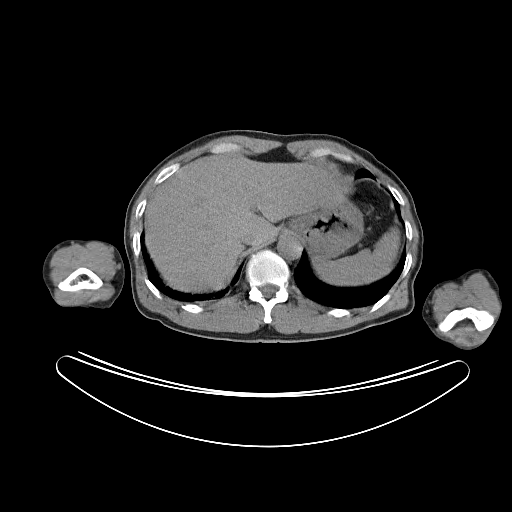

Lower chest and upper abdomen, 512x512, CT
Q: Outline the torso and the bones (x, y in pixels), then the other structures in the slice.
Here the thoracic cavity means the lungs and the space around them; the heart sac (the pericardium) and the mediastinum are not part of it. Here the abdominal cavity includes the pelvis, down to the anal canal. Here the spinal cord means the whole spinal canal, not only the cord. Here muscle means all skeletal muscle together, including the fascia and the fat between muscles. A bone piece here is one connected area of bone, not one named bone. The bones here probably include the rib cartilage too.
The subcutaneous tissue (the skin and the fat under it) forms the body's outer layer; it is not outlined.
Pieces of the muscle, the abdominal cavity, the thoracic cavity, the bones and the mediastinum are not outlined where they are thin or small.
A: The torso is outlined by 227,129 338,135 369,150 394,171 413,197 423,230 423,258 414,281 413,310 405,316 349,335 302,343 240,343 206,339 172,330 143,316 132,298 130,270 123,239 129,200 146,175 168,154 202,135. The bones appear in 15 outlined pieces: piece 1: 264,249 269,249 279,255 286,262 291,273 291,278 287,288 288,298 286,301 277,302 273,306 270,312 270,323 265,323 263,320 264,309 262,305 259,302 252,301 248,298 250,287 245,278 245,268 250,256 with a hole at 266,284 272,284 273,285 275,285 277,287 277,290 273,294 273,295 272,296 271,296 268,298 265,297 263,295 262,292 260,290 260,289 259,288 259,287 260,287 261,286 263,286; piece 2: 469,306 474,307 477,309 484,309 491,313 494,316 494,322 491,326 484,330 478,331 469,321 467,320 463,320 457,323 452,328 446,332 442,332 437,329 437,324 440,322 449,312 455,309 461,309; piece 3: 78,267 86,267 90,269 93,272 94,272 102,280 102,282 103,284 99,288 97,289 85,289 84,288 83,289 80,289 76,291 64,291 63,290 61,290 58,287 58,283 60,281 63,280 71,272 72,272; piece 4: 319,147 329,147 337,152 341,152 342,153 349,154 354,159 355,162 354,163 349,163 345,161 342,161 339,159 337,159 333,157 331,155 323,155 322,156 317,156 316,157 309,156 309,152 311,150 313,150; piece 5: 221,142 231,142 232,143 235,143 236,144 239,145 241,147 241,149 239,151 227,151 226,152 221,152 220,153 213,153 212,152 210,152 210,149 212,146 213,146 215,144 217,144 218,143 220,143; piece 6: 174,163 178,163 180,165 180,167 179,169 178,169 177,171 176,171 173,174 172,174 169,177 168,177 160,183 158,184 155,184 154,183 154,181 157,175 159,173 159,172 164,167 166,167; piece 7: 136,231 140,231 140,254 137,257 136,256 135,256 135,255 134,254 134,252 133,251 133,247 132,246 132,242 133,241 133,235 134,234 134,233; piece 8: 331,308 340,308 341,309 348,309 350,311 350,315 349,316 347,316 346,315 345,315 344,316 342,316 341,317 335,317 334,316 333,316 332,315 330,315 329,314 328,314 327,313 327,311 328,310 329,310; piece 9: 406,252 410,252 410,253 411,254 411,264 410,265 410,267 409,268 407,273 405,275 405,276 402,278 400,278 398,280 398,279 402,272 402,270 403,269 403,266 404,265 404,262 405,261 405,257 406,256; piece 10: 392,287 392,288 390,291 390,297 388,299 388,300 386,302 385,302 380,307 379,307 374,311 373,311 372,312 370,312 370,309 371,308 372,305 378,300 379,300 383,296 384,296 390,290 390,289; piece 11: 186,303 193,303 194,304 197,304 198,305 201,306 203,308 203,310 202,311 201,311 200,312 198,312 197,313 194,313 193,312 190,312 189,311 187,311 186,310 183,309 181,307 181,306 182,305 183,305; piece 12: 388,184 389,184 390,185 393,186 400,193 400,194 401,195 401,196 402,197 402,198 404,201 404,205 400,205 399,204 399,203 394,198 394,197 392,195 391,192 388,189 388,188 387,187 387,185; piece 13: 146,277 147,277 148,278 148,279 157,288 157,289 160,292 160,293 161,294 161,296 162,297 160,299 159,298 158,298 156,296 155,296 154,295 154,294 149,289 149,288 147,286 147,285 145,282 145,278; piece 14: 143,199 145,199 146,200 146,205 145,206 145,208 144,209 144,211 143,212 141,217 139,217 138,218 136,218 136,217 135,216 135,213 136,212 136,208 137,207 139,202 140,201 141,201; piece 15: 405,219 406,219 409,222 409,223 410,224 410,225 411,226 411,229 412,230 412,237 411,238 411,240 408,240 407,239 407,238 406,237 406,235 405,234 405,226 404,225 404,220. The left arm is outlined by 477,267 487,269 497,282 499,286 499,294 502,301 502,308 499,319 486,340 476,348 464,350 454,347 452,345 436,338 430,332 424,324 422,319 421,313 422,306 429,291 434,285 443,280 456,277 472,268. The muscle appears in 3 outlined pieces: piece 1: 230,135 242,135 243,136 253,137 259,139 275,140 276,141 282,142 285,144 293,141 311,140 312,139 324,139 325,140 335,141 356,152 372,163 385,174 389,176 400,187 407,197 410,205 410,210 418,232 417,257 416,258 415,265 411,270 410,276 408,280 408,303 407,305 401,309 390,311 376,318 361,322 358,324 344,329 334,330 333,331 327,331 326,332 319,332 318,333 302,333 301,332 298,332 297,333 291,333 290,334 281,333 277,331 269,324 262,325 257,330 248,333 238,333 237,332 229,332 228,331 209,331 208,330 189,328 180,325 170,320 167,317 159,313 153,312 146,308 140,302 136,290 135,267 133,262 133,253 130,245 130,239 129,238 130,216 131,215 132,208 137,198 141,193 141,191 147,182 151,177 152,177 153,175 168,161 184,153 186,151 188,151 192,148 202,145 212,139 222,136 229,136; inner edge: 221,142 235,143 240,152 250,155 284,147 297,158 309,158 311,150 329,147 349,154 354,165 369,171 384,186 393,186 404,201 402,218 412,230 411,240 405,243 411,264 392,287 388,300 372,312 372,306 367,305 351,308 349,316 335,317 327,313 329,306 293,288 291,278 287,300 273,306 271,322 265,323 262,305 248,298 250,287 244,276 231,293 198,302 203,310 197,313 183,309 184,301 163,293 160,299 155,296 145,282 148,275 142,254 137,257 133,251 133,235 142,229 136,208 143,199 148,203 158,186 154,181 164,167 178,163 181,168; piece 2: 88,242 99,242 112,249 120,266 120,278 118,286 112,296 107,300 103,301 100,300 86,304 76,304 75,305 63,304 58,301 54,294 54,286 49,277 50,260 53,254 62,247 68,246 72,243 84,244; inner edge: 78,267 86,267 90,269 93,272 94,272 102,280 102,282 103,284 99,288 97,289 85,289 84,288 83,289 80,289 76,291 64,291 63,290 61,290 58,287 58,283 60,281 63,280 71,272 72,272; piece 3: 476,272 483,274 496,294 499,309 495,319 495,316 487,309 469,305 452,309 436,324 436,329 442,333 448,332 463,321 469,322 478,332 486,330 480,341 465,346 438,334 434,330 430,303 434,292 438,288. The abdominal cavity is outlined by 282,147 297,158 328,156 344,171 375,177 387,188 403,219 406,238 397,267 369,285 329,285 313,274 303,242 285,233 252,253 227,286 213,294 188,293 165,285 141,233 142,216 158,185 206,153 257,155. The mediastinum appears in 2 outlined pieces: piece 1: 285,234 289,234 299,239 304,245 304,249 301,253 300,258 297,264 292,270 292,273 291,272 290,267 287,262 279,254 269,248 264,248 262,249 262,248 264,248 267,246 268,244 272,243 276,240 281,238; piece 2: 329,156 331,156 333,158 337,160 339,160 342,162 345,162 349,164 353,164 359,167 359,168 357,170 356,173 350,173 344,170 342,168 341,166 341,163 339,161 337,161 331,158. The right arm is outlined by 71,238 104,240 111,243 118,249 121,255 124,266 124,282 120,294 111,306 105,309 96,309 95,308 88,308 87,309 81,307 62,307 56,303 51,297 49,291 42,279 43,261 49,250 54,245 63,240. The thoracic cavity appears in 2 outlined pieces: piece 1: 304,251 312,274 319,281 336,288 361,288 378,282 387,277 398,267 404,252 405,256 402,269 397,280 384,295 371,305 354,307 349,309 340,307 330,307 321,304 310,299 301,292 292,278 292,274; piece 2: 141,234 143,234 145,250 157,275 163,284 172,290 188,294 213,295 228,286 243,263 247,260 244,268 244,276 237,282 237,285 231,293 219,299 205,300 197,303 185,302 174,299 161,293 149,279 141,253. The spinal cord is outlined by 266,284 272,284 273,285 275,285 277,287 277,290 273,294 273,295 272,296 271,296 268,298 265,297 263,295 262,292 260,290 260,289 259,288 259,287 260,287 261,286 263,286.